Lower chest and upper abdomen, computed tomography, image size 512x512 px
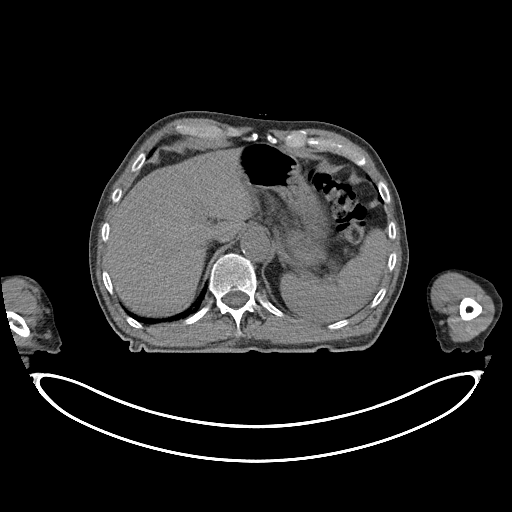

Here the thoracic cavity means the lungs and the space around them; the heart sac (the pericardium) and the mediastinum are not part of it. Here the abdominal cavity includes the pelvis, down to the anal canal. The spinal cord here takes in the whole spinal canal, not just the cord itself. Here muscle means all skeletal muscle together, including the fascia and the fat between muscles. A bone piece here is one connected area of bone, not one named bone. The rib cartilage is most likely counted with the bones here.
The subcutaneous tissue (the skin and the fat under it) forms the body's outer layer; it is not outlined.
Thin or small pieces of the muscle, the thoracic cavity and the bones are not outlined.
left arm: (447, 268) (460, 268) (468, 270) (486, 278) (493, 283) (501, 296) (501, 314) (495, 326) (485, 339) (483, 349) (480, 352) (476, 353) (471, 351) (468, 353) (463, 353) (456, 348) (450, 353) (445, 353) (441, 350) (436, 339) (435, 329) (426, 301) (426, 287) (434, 274)
bones 1: (230, 252) (239, 254) (251, 262) (258, 281) (257, 290) (264, 290) (267, 298) (284, 314) (281, 317) (262, 307) (262, 316) (257, 311) (245, 311) (240, 319) (242, 334) (239, 336) (236, 334) (237, 328) (233, 317) (227, 312) (220, 312) (208, 290) (212, 266) (220, 256), around a hole outlined by (231, 291) (240, 291) (241, 292) (243, 292) (244, 293) (245, 293) (247, 295) (247, 300) (241, 306) (240, 306) (239, 307) (237, 307) (236, 308) (234, 308) (233, 307) (231, 307) (229, 305) (226, 304) (223, 301) (223, 297) (226, 294) (227, 294) (229, 292) (230, 292)
bones 2: (301, 129) (305, 130) (308, 136) (329, 138) (337, 142) (346, 144) (364, 156) (366, 161) (365, 164) (362, 166) (359, 166) (341, 154) (331, 151) (317, 151) (313, 147) (308, 145) (298, 148) (290, 147) (286, 145) (284, 143) (284, 137) (290, 133)
bones 3: (178, 124) (186, 124) (187, 125) (215, 125) (223, 129) (225, 129) (228, 127) (233, 127) (234, 128) (242, 130) (244, 131) (245, 133) (240, 136) (225, 137) (222, 139) (206, 139) (201, 137) (191, 136) (187, 134) (181, 134) (179, 133) (175, 128) (176, 125)
bones 4: (464, 297) (471, 297) (472, 298) (473, 298) (481, 306) (481, 312) (477, 316) (476, 316) (475, 317) (474, 317) (472, 319) (471, 319) (470, 320) (464, 320) (463, 319) (462, 319) (460, 316) (460, 313) (459, 312) (459, 304) (460, 303) (460, 302) (461, 301) (461, 300)
bones 5: (6, 309) (10, 311) (13, 311) (19, 314) (24, 319) (30, 331) (29, 336) (27, 337) (23, 337) (19, 335) (17, 333) (12, 331) (9, 325) (9, 321) (7, 317) (7, 314) (6, 313)
bones 6: (208, 300) (212, 300) (212, 304) (211, 305) (211, 307) (210, 309) (207, 312) (206, 312) (202, 317) (201, 317) (198, 320) (195, 321) (193, 323) (191, 323) (190, 324) (184, 324) (183, 322) (184, 319) (188, 317) (190, 315) (193, 314) (203, 306) (204, 306) (207, 303)
bones 7: (378, 181) (382, 181) (387, 186) (387, 188) (388, 189) (388, 191) (389, 192) (389, 194) (390, 195) (390, 202) (389, 203) (385, 203) (383, 201) (383, 200) (382, 199) (382, 198) (381, 197) (381, 196) (380, 195) (380, 194) (378, 191) (378, 189) (376, 186) (376, 184)
bones 8: (141, 152) (143, 152) (146, 154) (146, 159) (145, 160) (145, 161) (144, 162) (144, 163) (143, 164) (143, 165) (139, 170) (139, 171) (135, 171) (134, 172) (131, 170) (131, 167) (132, 166) (132, 164) (133, 163) (133, 162) (135, 160) (135, 159) (138, 156) (138, 155)
bones 9: (381, 287) (384, 287) (386, 289) (386, 291) (385, 292) (385, 294) (384, 295) (383, 298) (380, 301) (380, 302) (378, 304) (377, 304) (374, 307) (370, 307) (370, 303) (372, 301) (372, 300) (373, 299) (374, 296) (376, 294) (376, 293) (380, 289) (380, 288)
bones 10: (104, 270) (106, 270) (107, 271) (107, 272) (109, 275) (109, 277) (111, 280) (111, 284) (112, 285) (112, 287) (113, 288) (113, 293) (112, 294) (110, 294) (109, 293) (109, 292) (107, 290) (107, 289) (106, 288) (106, 287) (103, 282) (103, 279) (102, 278) (102, 272)
bones 11: (118, 187) (121, 188) (121, 189) (122, 190) (122, 195) (121, 196) (121, 197) (120, 198) (119, 201) (118, 202) (115, 203) (112, 201) (112, 199) (111, 198) (111, 195) (112, 194) (112, 192) (116, 188) (117, 188)
bones 12: (344, 319) (348, 319) (348, 323) (347, 324) (346, 324) (345, 325) (344, 325) (343, 326) (342, 326) (339, 328) (336, 328) (335, 329) (330, 329) (327, 327) (327, 325) (328, 325) (329, 324) (331, 324) (332, 323) (334, 323) (335, 322) (337, 322) (340, 320) (343, 320)
bones 13: (127, 315) (128, 315) (129, 316) (130, 316) (131, 317) (132, 317) (137, 321) (138, 321) (139, 322) (140, 322) (142, 324) (142, 328) (137, 328) (136, 327) (134, 327) (133, 326) (132, 326) (131, 325) (130, 325) (126, 320) (126, 316)
bones 14: (268, 133) (269, 133) (270, 134) (271, 134) (272, 135) (273, 135) (277, 139) (277, 140) (278, 141) (276, 143) (272, 143) (271, 142) (270, 142) (269, 141) (268, 141) (268, 140) (266, 138) (266, 135)
mediastinum 1: (248, 228) (259, 228) (261, 230) (265, 231) (270, 237) (271, 245) (269, 247) (269, 253) (263, 260) (263, 264) (260, 268) (259, 275) (257, 274) (254, 265) (248, 258) (239, 253) (232, 251) (225, 253) (222, 252) (223, 250) (226, 250) (230, 247) (236, 241) (240, 234)
mediastinum 2: (313, 151) (315, 152) (331, 152) (332, 153) (335, 153) (336, 154) (341, 155) (347, 158) (350, 161) (352, 162) (348, 162) (347, 163) (332, 163) (327, 158) (326, 156) (324, 155) (322, 155) (321, 154) (318, 154) (317, 153) (315, 153) (313, 154) (312, 153)
mediastinum 3: (184, 135) (187, 135) (188, 136) (188, 137) (187, 138) (186, 138) (185, 139) (179, 139) (178, 140) (175, 140) (171, 144) (161, 144) (160, 145) (157, 145) (160, 142) (161, 142) (164, 139) (165, 139) (166, 138) (168, 138) (169, 137) (170, 137) (171, 136) (183, 136)
right arm: (8, 274) (24, 274) (30, 276) (37, 280) (45, 290) (53, 307) (55, 324) (62, 342) (60, 352) (58, 354) (50, 354) (46, 351) (38, 350) (29, 356) (27, 362) (19, 353) (12, 330) (9, 325) (6, 313) (6, 306) (4, 303) (2, 283) (0, 280) (2, 276)
muscle 1: (180, 118) (209, 118) (264, 131) (297, 130) (286, 134) (282, 142) (269, 132) (259, 137) (251, 131) (242, 137) (246, 132) (233, 126) (178, 123) (174, 128) (183, 135) (166, 137) (147, 155) (143, 151) (137, 155) (130, 167) (137, 175) (123, 194) (119, 186) (111, 192) (111, 201) (117, 206) (111, 221) (104, 221) (100, 227) (107, 265) (107, 270) (101, 272) (102, 282) (125, 311) (127, 323) (137, 329) (143, 324) (182, 319) (184, 325) (193, 324) (212, 307) (212, 299) (203, 305) (208, 291) (219, 312) (232, 317) (239, 337) (243, 334) (243, 314) (257, 312) (262, 317) (261, 308) (281, 318) (285, 313) (335, 330) (367, 306) (374, 308) (381, 302) (387, 291) (382, 284) (397, 261) (396, 252) (390, 252) (396, 224) (388, 222) (384, 207) (384, 203) (391, 202) (388, 186) (382, 180) (375, 183) (362, 169) (367, 161) (359, 151) (329, 137) (308, 135) (304, 129) (317, 128) (340, 134) (363, 148) (386, 180) (394, 200) (401, 266) (395, 288) (370, 333) (298, 344) (241, 339) (233, 344) (169, 347) (151, 345) (117, 325) (96, 277) (98, 225) (113, 184) (135, 152) (153, 132)
muscle 2: (447, 272) (456, 272) (462, 274) (480, 285) (486, 293) (491, 297) (495, 307) (494, 316) (490, 324) (478, 335) (468, 341) (455, 342) (452, 341) (446, 336) (443, 333) (441, 329) (438, 317) (432, 305) (431, 296) (430, 295) (432, 285) (434, 281) (439, 276); inner edge: (464, 297) (471, 297) (472, 298) (473, 298) (481, 306) (481, 312) (477, 316) (476, 316) (475, 317) (474, 317) (472, 319) (471, 319) (470, 320) (464, 320) (463, 319) (462, 319) (460, 316) (460, 313) (459, 312) (459, 304) (460, 303) (460, 302) (461, 301) (461, 300)
muscle 3: (12, 277) (22, 278) (29, 283) (40, 288) (48, 302) (48, 316) (51, 330) (51, 339) (42, 346) (32, 349) (27, 349) (17, 347) (16, 345) (12, 332) (23, 338) (27, 338) (30, 336) (31, 331) (25, 319) (19, 313) (7, 309) (4, 303) (4, 294) (1, 282)
torso: (185, 110) (329, 122) (356, 133) (374, 148) (399, 194) (409, 263) (399, 297) (373, 345) (337, 353) (322, 348) (315, 353) (264, 354) (250, 350) (243, 354) (150, 354) (143, 349) (132, 353) (129, 342) (114, 331) (90, 279) (92, 218) (104, 186) (137, 137) (156, 120)
abdominal cavity: (189, 136) (265, 138) (324, 156) (332, 164) (360, 167) (383, 202) (390, 240) (387, 271) (369, 304) (328, 324) (284, 312) (268, 298) (257, 276) (270, 253) (271, 237) (248, 227) (221, 251) (207, 287) (187, 311) (154, 319) (124, 309) (106, 258) (114, 212) (154, 148)
thoracic cavity: (206, 286) (207, 293) (204, 298) (201, 307) (188, 316) (173, 322) (166, 322) (157, 324) (146, 324) (142, 323) (132, 316) (127, 314) (126, 312) (127, 311) (140, 318) (145, 318) (146, 319) (153, 319) (154, 320) (171, 319) (187, 312) (198, 301) (202, 291)
spinal cord: (231, 291) (240, 291) (241, 292) (243, 292) (244, 293) (245, 293) (247, 295) (247, 300) (241, 306) (240, 306) (239, 307) (237, 307) (236, 308) (234, 308) (233, 307) (231, 307) (229, 305) (226, 304) (223, 301) (223, 297) (226, 294) (227, 294) (229, 292) (230, 292)